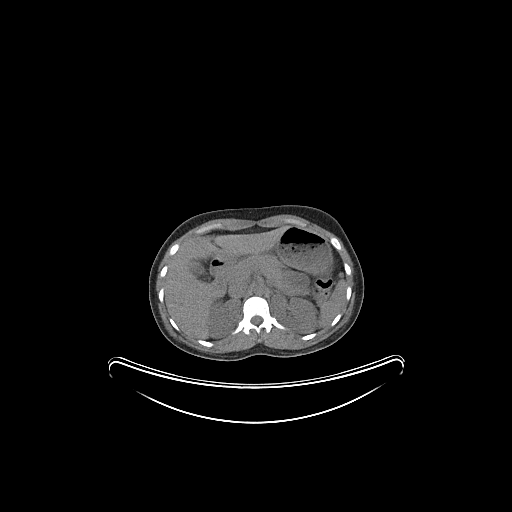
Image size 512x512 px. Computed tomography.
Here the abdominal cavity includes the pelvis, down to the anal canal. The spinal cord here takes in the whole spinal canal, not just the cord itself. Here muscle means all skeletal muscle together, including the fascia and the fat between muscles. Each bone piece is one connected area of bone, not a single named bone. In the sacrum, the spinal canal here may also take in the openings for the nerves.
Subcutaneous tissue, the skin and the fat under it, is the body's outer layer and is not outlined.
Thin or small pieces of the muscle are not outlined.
muscle 1: 337 237; 342 241; 353 263; 355 299; 348 321; 325 339; 300 349; 278 349; 257 344; 239 351; 211 353; 198 350; 177 340; 166 329; 158 309; 158 299; 163 303; 172 327; 178 332; 181 330; 185 335; 205 347; 212 347; 214 341; 226 337; 230 333; 235 335; 242 332; 248 335; 251 330; 254 330; 259 334; 262 329; 268 333; 273 326; 280 330; 287 329; 297 333; 301 335; 300 338; 303 341; 312 339; 316 336; 316 332; 329 325; 332 327; 339 321; 342 316; 340 312; 344 305; 345 296; 345 299; 348 301; 352 294; 352 287; 347 285; 347 276; 352 273; 352 270; 347 262; 342 261; 338 253; 342 249; 342 245
muscle 2: 279 214; 292 214; 302 217; 330 231; 336 236; 331 236; 329 238; 329 240; 328 240; 320 233; 306 227; 305 223; 295 219; 288 219; 287 223; 272 227; 264 227; 259 225; 253 225; 250 227; 235 230; 212 229; 207 231; 209 229; 219 226; 220 225; 219 223; 214 223; 207 226; 200 227; 196 230; 197 233; 187 239; 183 244; 180 245; 179 243; 176 242; 169 247; 168 254; 171 257; 168 263; 165 264; 161 268; 159 272; 159 276; 161 278; 163 278; 163 286; 158 290; 157 297; 155 285; 156 284; 159 264; 169 246; 176 239; 187 231; 198 225; 200 225; 202 223; 213 219; 235 218; 236 219; 259 220; 266 217
spinal cord: 254 316; 259 316; 260 317; 261 317; 261 318; 262 319; 262 321; 259 324; 258 324; 257 325; 256 324; 254 324; 253 323; 252 323; 252 322; 251 321; 251 319
abdominal cavity: 288 223; 323 236; 341 259; 346 276; 344 301; 330 324; 303 336; 272 316; 263 296; 252 295; 242 302; 241 318; 226 336; 209 341; 185 334; 168 315; 164 304; 164 278; 168 264; 180 246; 193 236; 212 230; 272 228
torso: 284 204; 319 208; 332 215; 345 231; 358 257; 364 278; 363 302; 350 329; 333 344; 311 353; 293 357; 253 355; 235 361; 220 361; 192 355; 168 341; 159 330; 150 308; 148 277; 152 262; 169 234; 184 220; 199 213; 225 208
bones 1: 252 296; 263 297; 268 304; 270 315; 275 318; 286 329; 280 329; 273 325; 268 332; 264 328; 262 328; 259 333; 257 333; 254 329; 251 329; 248 334; 246 334; 242 331; 232 334; 231 333; 236 328; 242 318; 243 302; inner edge: 254 316; 259 316; 260 317; 261 317; 261 318; 262 319; 262 321; 259 324; 258 324; 257 325; 256 324; 254 324; 253 323; 252 323; 252 322; 251 321; 251 319
bones 2: 331 237; 336 237; 337 238; 337 239; 338 240; 338 241; 340 243; 340 244; 341 245; 341 249; 340 250; 337 250; 331 244; 331 243; 330 242; 330 238
bones 3: 176 243; 177 243; 178 244; 179 244; 179 248; 177 250; 177 251; 174 254; 173 254; 172 255; 170 255; 169 254; 169 250; 170 249; 170 247; 172 245; 173 245; 174 244; 175 244
bones 4: 214 224; 219 224; 219 225; 218 225; 217 226; 214 226; 211 228; 209 228; 203 232; 200 232; 199 233; 198 233; 197 232; 197 230; 200 228; 202 228; 203 227; 207 227; 210 225; 213 225
bones 5: 162 287; 163 287; 163 288; 164 289; 164 292; 163 293; 163 298; 164 299; 164 300; 163 301; 163 302; 161 302; 159 300; 159 299; 158 298; 158 292; 159 291; 159 290
bones 6: 197 340; 202 340; 203 341; 208 341; 209 342; 212 342; 213 343; 213 345; 212 346; 211 346; 210 347; 209 347; 208 346; 205 346; 204 345; 202 345; 201 344; 200 344; 197 341
bones 7: 339 313; 340 313; 341 314; 341 316; 340 317; 340 318; 338 320; 338 321; 334 325; 333 325; 332 326; 331 326; 331 322; 332 321; 332 320; 335 317; 335 316; 337 314; 338 314
bones 8: 345 262; 346 263; 347 263; 348 264; 348 265; 349 266; 349 267; 350 268; 350 269; 351 270; 351 273; 349 275; 347 275; 346 274; 346 272; 345 271; 345 269; 344 268; 344 266; 343 265; 343 263; 344 263
bones 9: 347 286; 350 286; 351 287; 351 294; 350 295; 350 298; 348 300; 347 300; 346 299; 346 288; 347 287
bones 10: 165 265; 167 265; 167 271; 166 272; 166 274; 165 275; 165 276; 164 277; 161 277; 160 276; 160 272; 161 271; 161 270; 162 269; 162 268
bones 11: 312 333; 316 333; 316 334; 315 335; 315 336; 314 336; 312 338; 311 338; 310 339; 307 339; 306 340; 303 340; 301 338; 301 337; 302 336; 303 337; 304 336; 305 336; 306 335; 307 335; 308 334; 311 334
bones 12: 169 318; 172 318; 172 319; 177 324; 177 325; 178 326; 178 327; 180 329; 180 330; 179 331; 178 331; 177 330; 176 330; 173 327; 173 326; 171 324; 171 323; 170 322; 170 321; 169 320
bones 13: 288 220; 295 220; 296 221; 298 221; 299 222; 301 222; 302 223; 303 223; 304 224; 305 224; 305 226; 302 226; 301 225; 300 225; 299 224; 297 224; 296 223; 293 223; 292 222; 288 222